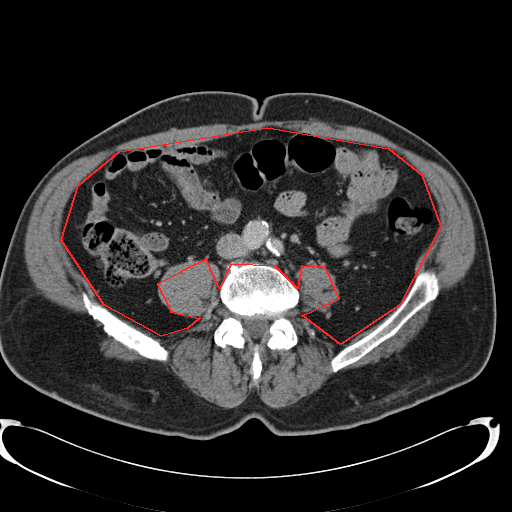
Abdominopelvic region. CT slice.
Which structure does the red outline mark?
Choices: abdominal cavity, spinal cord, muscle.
red: abdominal cavity.
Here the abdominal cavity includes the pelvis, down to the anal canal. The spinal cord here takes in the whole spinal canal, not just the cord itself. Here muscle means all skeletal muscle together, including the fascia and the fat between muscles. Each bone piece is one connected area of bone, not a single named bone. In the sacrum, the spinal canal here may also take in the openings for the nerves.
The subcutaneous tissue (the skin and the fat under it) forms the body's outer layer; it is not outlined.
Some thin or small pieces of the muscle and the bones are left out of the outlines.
{"abdominal_cavity":[[[267,127],[388,148],[421,174],[440,226],[399,305],[340,344],[302,315],[339,298],[325,267],[301,266],[297,288],[275,266],[230,264],[219,288],[206,259],[157,284],[170,311],[199,318],[187,328],[161,336],[104,305],[61,240],[78,185],[119,151]]],"bones":[{"outer":[[250,262],[279,269],[299,293],[298,303],[284,314],[296,331],[297,343],[289,349],[263,345],[259,350],[262,369],[256,384],[250,372],[252,348],[247,344],[243,348],[221,347],[214,342],[215,330],[228,315],[219,297],[220,286],[230,271],[228,267]],"hole":[[254,316],[256,316],[257,317],[258,316],[263,316],[263,317],[265,318],[269,322],[269,327],[267,331],[260,338],[258,339],[254,339],[252,338],[249,335],[248,335],[246,333],[243,327],[243,319],[245,317],[253,317]]},[[427,269],[433,270],[438,278],[439,291],[435,299],[430,301],[409,318],[394,335],[381,342],[358,360],[339,369],[336,372],[331,372],[330,371],[330,361],[331,359],[340,350],[364,337],[374,330],[384,321],[404,300],[410,290],[416,276],[420,272]],[[83,292],[85,292],[91,300],[99,302],[128,324],[157,340],[167,350],[169,354],[169,357],[167,361],[159,361],[147,358],[139,354],[135,350],[128,348],[112,336],[108,335],[103,330],[103,324],[100,321],[94,319],[88,313],[82,298],[82,293]]],"torso":[[[197,91],[237,92],[259,103],[286,92],[340,97],[419,135],[456,167],[481,212],[495,286],[495,339],[475,378],[350,429],[280,436],[251,418],[228,433],[194,440],[80,411],[40,393],[9,369],[0,353],[0,272],[31,191],[90,137],[152,103]]],"muscle":[{"outer":[[273,120],[318,120],[361,127],[439,164],[453,176],[471,212],[476,251],[461,281],[437,299],[440,284],[436,272],[427,268],[415,277],[419,256],[441,226],[438,203],[422,174],[402,154],[388,147],[303,129],[267,126],[197,143],[116,151],[70,194],[62,210],[60,240],[72,265],[99,300],[91,299],[85,291],[81,293],[87,313],[102,324],[108,336],[159,362],[168,361],[168,350],[119,317],[161,337],[195,325],[198,316],[176,313],[161,301],[158,284],[174,265],[197,260],[213,263],[219,270],[218,297],[227,312],[213,332],[213,342],[221,348],[251,348],[249,372],[254,385],[263,369],[263,346],[289,350],[298,343],[297,331],[285,315],[300,300],[296,272],[303,266],[325,268],[335,277],[339,295],[328,312],[311,309],[301,314],[312,326],[331,342],[344,345],[381,322],[330,359],[329,371],[335,373],[317,390],[280,408],[268,406],[254,391],[235,407],[221,407],[194,394],[156,361],[105,357],[99,349],[103,334],[90,318],[37,293],[24,260],[26,228],[39,194],[66,165],[170,128]],"hole":[[309,328],[310,328],[311,329],[312,329],[313,329],[314,330],[314,331],[315,332],[315,333],[315,334],[315,335],[314,336],[313,336],[312,336],[311,336],[310,335],[309,334],[308,333],[308,332],[308,331],[308,330],[308,329]]},[[434,300],[435,300],[435,301],[428,316],[427,321],[419,332],[410,341],[403,350],[396,354],[389,356],[384,359],[382,359],[369,365],[366,365],[361,367],[349,368],[348,369],[338,371],[358,361],[381,343],[394,336],[409,319],[430,302]]],"spinal_cord":[[[254,316],[256,316],[257,317],[258,316],[263,316],[263,317],[265,318],[269,322],[269,327],[267,331],[260,338],[258,339],[254,339],[252,338],[249,335],[248,335],[246,333],[243,327],[243,319],[245,317],[253,317]]]}